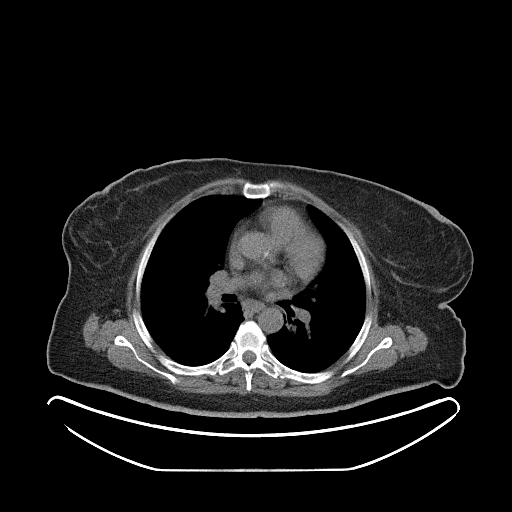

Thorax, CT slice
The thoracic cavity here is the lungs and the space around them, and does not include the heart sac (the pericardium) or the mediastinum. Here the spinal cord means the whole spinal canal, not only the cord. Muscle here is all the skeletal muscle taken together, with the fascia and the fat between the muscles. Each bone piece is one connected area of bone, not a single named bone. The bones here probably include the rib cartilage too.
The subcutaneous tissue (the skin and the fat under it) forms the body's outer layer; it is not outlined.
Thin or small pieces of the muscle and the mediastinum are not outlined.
The thoracic cavity appears in 2 outlined pieces: piece 1: 228 193; 261 199; 259 205; 233 226; 224 252; 223 269; 209 275; 209 287; 216 294; 234 295; 243 320; 228 348; 220 356; 199 365; 182 364; 164 353; 144 322; 140 306; 142 280; 153 248; 168 222; 194 200; 211 194; piece 2: 308 204; 323 212; 343 231; 356 256; 365 286; 365 315; 356 336; 334 363; 316 372; 300 371; 287 366; 273 354; 267 342; 267 336; 278 332; 285 323; 286 311; 280 303; 291 302; 320 273; 325 262; 326 243; 309 215; 306 208. The torso is outlined by 201 157; 293 164; 370 179; 433 206; 458 225; 473 252; 470 279; 448 303; 465 329; 464 369; 458 383; 450 388; 431 383; 329 413; 235 418; 162 409; 52 373; 46 348; 66 290; 68 262; 61 233; 70 212; 87 196; 132 170. The pericardium is outlined by 276 202; 291 204; 299 208; 305 214; 324 240; 325 255; 324 262; 319 273; 305 287; 289 295; 266 297; 263 295; 242 291; 236 287; 234 283; 235 281; 231 277; 228 269; 227 256; 230 242; 236 228; 245 220; 255 216; 266 205. The muscle appears in 2 outlined pieces: piece 1: 226 177; 248 180; 242 182; 241 193; 207 194; 194 199; 173 216; 170 214; 148 239; 139 259; 135 278; 135 298; 139 302; 140 311; 136 308; 132 310; 132 320; 144 344; 169 371; 157 368; 143 359; 121 334; 113 338; 115 345; 128 347; 139 362; 174 385; 180 381; 175 375; 222 376; 240 368; 244 371; 245 389; 248 392; 252 389; 252 377; 256 369; 262 370; 272 378; 318 384; 335 374; 334 369; 327 369; 343 355; 342 363; 345 364; 356 354; 372 324; 372 315; 366 314; 366 294; 371 294; 366 257; 353 233; 341 222; 336 223; 312 204; 275 193; 284 185; 277 180; 265 181; 280 179; 311 191; 360 230; 373 256; 371 264; 380 291; 379 323; 402 323; 419 327; 428 337; 425 350; 402 358; 382 371; 372 370; 354 376; 327 394; 302 397; 267 396; 258 393; 242 395; 186 392; 159 378; 120 369; 105 356; 87 347; 82 327; 92 312; 103 319; 112 320; 126 315; 124 303; 128 277; 150 225; 168 207; 193 189, around a hole outlined by 385 337; 390 337; 392 340; 392 343; 389 347; 387 348; 380 348; 376 350; 370 356; 369 359; 364 365; 361 366; 351 373; 349 373; 342 377; 340 376; 341 373; 343 371; 347 369; 350 369; 361 363; 365 359; 368 353; piece 2: 154 342; 154 343; 163 352; 163 353; 164 354; 163 354; 162 353; 158 353; 157 352; 157 351; 156 350; 156 349; 155 348; 155 346; 154 345. The mediastinum is outlined by 274 194; 306 203; 311 221; 291 203; 270 202; 235 228; 229 242; 226 256; 226 265; 229 275; 242 292; 274 298; 305 288; 291 301; 279 303; 285 311; 284 323; 266 336; 254 320; 244 320; 234 294; 218 294; 210 287; 210 275; 224 269; 227 244; 236 223. The bones appear in 6 outlined pieces: piece 1: 134 309; 140 312; 156 352; 182 365; 199 366; 217 359; 229 348; 240 324; 252 320; 266 337; 272 354; 287 367; 305 373; 332 369; 334 374; 318 383; 304 383; 290 378; 272 377; 256 368; 252 372; 251 389; 248 391; 245 371; 237 367; 222 375; 175 374; 179 381; 174 384; 139 361; 128 346; 114 343; 114 338; 121 335; 143 360; 157 369; 170 371; 160 363; 141 338; 132 316 with a hole at 246 351; 251 351; 253 353; 254 353; 254 354; 255 355; 255 359; 253 361; 252 361; 251 362; 250 362; 249 363; 248 363; 247 362; 246 362; 245 361; 244 361; 244 360; 243 359; 243 354; piece 2: 170 215; 172 215; 172 216; 161 230; 152 248; 149 258; 147 261; 143 273; 143 276; 141 280; 140 294; 139 295; 139 301; 138 301; 136 298; 136 278; 137 277; 137 272; 138 271; 140 259; 142 256; 144 248; 156 229; piece 3: 244 181; 249 181; 253 183; 262 183; 263 182; 265 183; 269 183; 272 181; 277 181; 278 182; 280 182; 283 185; 283 186; 273 194; 271 194; 266 197; 264 197; 263 198; 248 198; 244 196; 241 192; 241 188; 242 187; 242 185; piece 4: 338 223; 341 223; 352 233; 354 238; 358 243; 365 257; 367 267; 368 268; 368 271; 369 272; 370 294; 367 294; 366 293; 366 286; 365 285; 363 274; 362 273; 357 256; 354 251; 354 249; 348 237; 344 231; 338 225; piece 5: 367 314; 370 314; 371 315; 371 324; 370 325; 369 330; 367 333; 367 335; 363 343; 359 349; 355 353; 355 354; 347 362; 343 363; 343 361; 345 357; 344 354; 347 351; 357 336; 363 324; 365 316; piece 6: 385 337; 390 337; 392 340; 392 343; 389 347; 387 348; 380 348; 376 350; 370 356; 369 359; 364 365; 361 366; 351 373; 349 373; 342 377; 340 376; 341 373; 343 371; 347 369; 350 369; 361 363; 365 359; 368 353. The spinal cord is outlined by 246 351; 251 351; 253 353; 254 353; 254 354; 255 355; 255 359; 253 361; 252 361; 251 362; 250 362; 249 363; 248 363; 247 362; 246 362; 245 361; 244 361; 244 360; 243 359; 243 354.